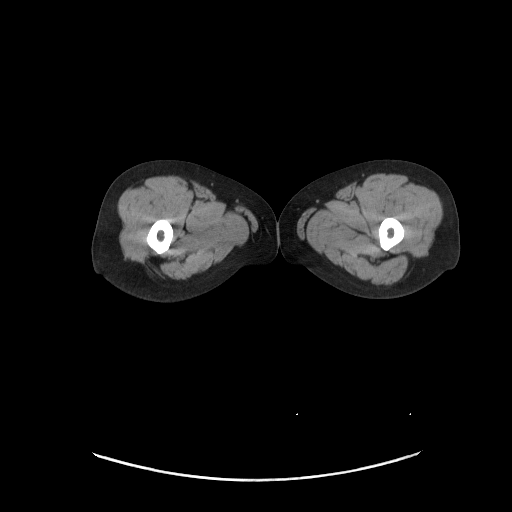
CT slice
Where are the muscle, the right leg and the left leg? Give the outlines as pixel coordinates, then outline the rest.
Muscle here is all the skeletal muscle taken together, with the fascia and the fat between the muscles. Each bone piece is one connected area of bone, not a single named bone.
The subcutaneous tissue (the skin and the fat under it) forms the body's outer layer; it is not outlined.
{"muscle":[{"outer":[[373,173],[402,173],[422,180],[437,189],[442,207],[444,209],[442,223],[428,257],[419,259],[414,271],[402,283],[397,286],[384,289],[372,289],[363,287],[346,278],[336,269],[307,249],[299,241],[295,229],[296,222],[306,206],[330,194],[353,179]],"hole":[[385,217],[395,217],[402,224],[402,225],[404,228],[404,236],[403,237],[403,238],[401,240],[401,241],[400,242],[399,242],[396,245],[393,246],[389,250],[384,250],[380,246],[380,245],[379,244],[379,239],[378,238],[378,227],[379,226],[381,221]]},{"outer":[[175,174],[188,176],[205,185],[223,198],[244,205],[250,209],[254,215],[258,227],[247,246],[220,270],[197,283],[181,286],[165,286],[156,284],[140,265],[124,261],[121,247],[117,241],[122,223],[115,212],[115,201],[121,190],[133,181],[151,175]],"hole":[[161,218],[163,218],[164,219],[166,219],[170,221],[170,223],[173,228],[173,238],[169,246],[169,249],[167,251],[161,254],[157,254],[156,252],[147,244],[145,240],[147,236],[147,232],[150,226],[155,221],[155,220],[157,219],[160,219]]}],"right_leg":[[[167,158],[198,163],[228,176],[258,193],[270,205],[277,218],[277,247],[279,251],[274,259],[266,265],[243,267],[207,293],[175,303],[156,303],[138,299],[124,293],[103,277],[96,274],[91,261],[91,242],[99,208],[107,188],[127,168],[143,161]]],"left_leg":[[[380,158],[409,160],[422,164],[435,171],[450,188],[459,217],[460,255],[456,266],[444,272],[419,291],[393,299],[368,299],[343,292],[324,282],[305,267],[289,263],[283,257],[278,247],[278,218],[286,203],[295,193],[311,181],[329,172],[355,163]]],"bones":[[[161,218],[163,218],[164,219],[166,219],[170,221],[170,223],[173,228],[173,238],[169,246],[169,249],[167,251],[161,254],[157,254],[156,252],[147,244],[145,240],[147,236],[147,232],[150,226],[155,221],[155,220],[157,219],[160,219]],[[385,217],[395,217],[402,224],[402,225],[404,228],[404,236],[403,237],[403,238],[401,240],[401,241],[400,242],[399,242],[396,245],[393,246],[389,250],[384,250],[380,246],[380,245],[379,244],[379,239],[378,238],[378,227],[379,226],[381,221]]]}